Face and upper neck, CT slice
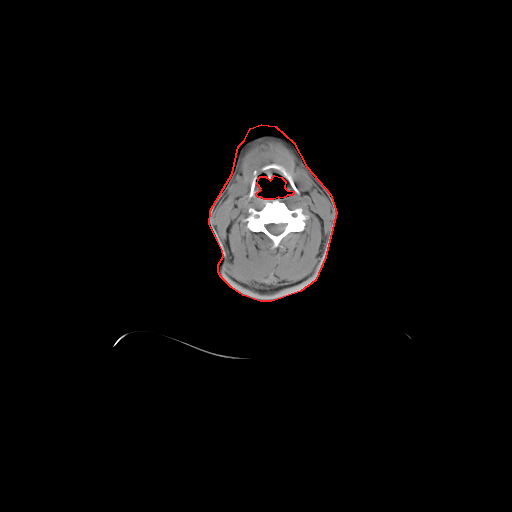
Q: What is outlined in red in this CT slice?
A: red: head and neck.
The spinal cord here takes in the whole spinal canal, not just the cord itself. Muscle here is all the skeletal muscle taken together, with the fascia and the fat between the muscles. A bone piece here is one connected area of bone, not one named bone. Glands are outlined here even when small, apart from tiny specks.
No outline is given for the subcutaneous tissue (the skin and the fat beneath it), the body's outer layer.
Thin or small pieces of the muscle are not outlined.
Outlines (x, y in pixels):
head and neck: (261, 124) (275, 126) (293, 142) (306, 166) (330, 194) (336, 212) (325, 257) (315, 280) (300, 291) (271, 301) (260, 301) (243, 295) (231, 287) (221, 277) (218, 272) (218, 264) (223, 256) (222, 250) (209, 224) (210, 210) (232, 173) (238, 146) (244, 140) (250, 128); inner edge: (274, 175) (281, 177) (285, 181) (284, 187) (287, 190) (293, 191) (293, 193) (291, 195) (287, 195) (284, 197) (279, 198) (278, 197) (273, 199) (264, 199) (261, 197) (258, 197) (256, 195) (256, 193) (261, 189) (257, 184) (258, 178) (260, 176) (265, 176) (270, 180)
bones 1: (278, 198) (289, 209) (301, 208) (302, 212) (307, 217) (304, 221) (305, 226) (302, 231) (289, 232) (282, 238) (277, 247) (273, 247) (273, 242) (270, 238) (263, 232) (251, 231) (247, 227) (247, 222) (244, 219) (249, 214) (249, 208) (258, 211) (265, 205) (267, 200); inner edge: (281, 223) (283, 223) (284, 224) (285, 224) (285, 227) (284, 228) (284, 229) (283, 230) (283, 231) (281, 233) (280, 233) (279, 234) (278, 234) (277, 235) (275, 235) (274, 234) (273, 234) (272, 233) (271, 233) (266, 228) (266, 225) (267, 224) (280, 224)
bones 2: (273, 163) (280, 165) (285, 169) (291, 176) (299, 192) (297, 193) (292, 189) (289, 183) (284, 178) (285, 177) (282, 172) (270, 169) (264, 173) (262, 172) (259, 175) (256, 181) (255, 195) (249, 198) (251, 183) (254, 176) (253, 172) (255, 170) (259, 171) (263, 166)
muscle: (264, 137) (287, 145) (303, 169) (295, 168) (295, 183) (302, 191) (309, 190) (314, 183) (328, 199) (332, 218) (323, 254) (307, 277) (288, 285) (258, 288) (227, 272) (227, 255) (213, 217) (227, 192) (232, 197) (247, 193) (248, 184) (238, 174) (241, 159) (249, 143), around a hole outlined by (273, 163) (285, 169) (299, 192) (294, 191) (291, 195) (280, 197) (280, 200) (289, 209) (301, 208) (307, 216) (304, 229) (289, 232) (277, 247) (273, 247) (272, 240) (263, 232) (251, 231) (244, 220) (249, 208) (258, 211) (267, 201) (257, 195) (249, 198) (253, 172)
spinal cord: (281, 223) (283, 223) (284, 224) (285, 224) (285, 227) (284, 228) (284, 229) (283, 230) (283, 231) (281, 233) (280, 233) (279, 234) (278, 234) (277, 235) (275, 235) (274, 234) (273, 234) (272, 233) (271, 233) (266, 228) (266, 225) (267, 224) (280, 224)
parotid glands 1: (238, 175) (241, 175) (241, 176) (242, 177) (242, 179) (247, 184) (247, 186) (248, 187) (248, 188) (247, 189) (247, 191) (246, 192) (246, 193) (245, 193) (242, 196) (232, 196) (228, 193) (228, 190) (229, 189) (231, 184) (234, 181) (236, 176) (237, 176)
parotid glands 2: (297, 167) (300, 168) (302, 170) (304, 170) (308, 174) (308, 175) (313, 181) (313, 183) (312, 184) (311, 187) (307, 190) (302, 190) (301, 189) (300, 189) (300, 188) (298, 186) (298, 185) (296, 183) (296, 182) (294, 179) (295, 178) (295, 172) (296, 171) (296, 168)